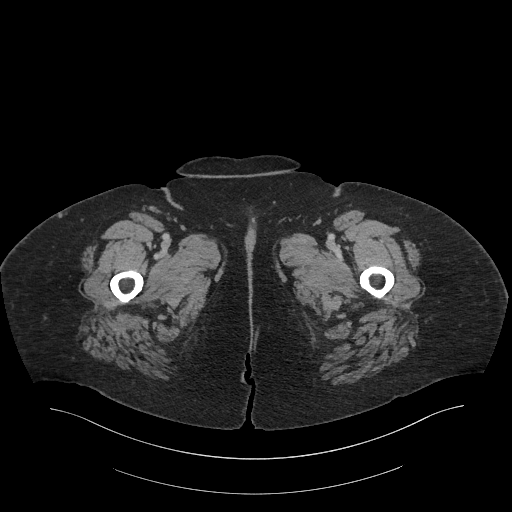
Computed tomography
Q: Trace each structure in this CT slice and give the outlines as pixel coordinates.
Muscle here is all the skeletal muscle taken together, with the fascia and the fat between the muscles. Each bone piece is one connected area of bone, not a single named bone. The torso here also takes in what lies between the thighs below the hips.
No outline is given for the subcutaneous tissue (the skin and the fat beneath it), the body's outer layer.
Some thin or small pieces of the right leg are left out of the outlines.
A: {"right_leg":[[[131,183],[164,187],[170,200],[181,209],[239,224],[247,230],[251,302],[244,378],[250,384],[250,392],[245,420],[240,428],[227,430],[180,423],[130,408],[76,383],[36,382],[20,355],[4,303],[0,272],[4,257],[22,237],[50,215],[87,197]]],"torso":[[[260,154],[289,157],[301,164],[298,169],[300,171],[316,174],[325,181],[335,184],[333,194],[328,200],[300,215],[257,223],[248,230],[239,223],[196,214],[181,208],[171,200],[164,186],[168,181],[179,177],[176,169],[191,159],[214,155],[247,157]]],"muscle":[{"outer":[[347,204],[376,213],[410,231],[421,253],[421,264],[418,270],[426,289],[425,293],[413,305],[420,329],[413,353],[373,378],[323,390],[313,383],[315,368],[309,339],[300,315],[275,269],[273,241],[275,232],[284,218],[296,217],[318,221],[335,209]],"hole":[[371,265],[379,265],[380,266],[383,266],[390,270],[393,273],[393,275],[394,276],[394,283],[389,291],[388,291],[383,296],[382,298],[376,298],[374,296],[370,294],[366,290],[362,288],[359,283],[359,276],[360,275],[360,273],[365,268]]},{"outer":[[140,205],[151,205],[188,229],[206,231],[215,235],[226,249],[224,277],[203,310],[195,334],[176,376],[169,381],[144,380],[112,370],[88,358],[74,339],[80,319],[88,308],[88,302],[78,291],[78,283],[83,275],[81,254],[107,221],[126,207]],"hole":[[129,269],[134,269],[138,271],[142,275],[144,280],[143,282],[143,286],[141,291],[132,299],[126,303],[121,303],[120,301],[113,294],[109,286],[109,282],[110,281],[110,279],[114,274],[118,273],[121,271],[124,271]]}],"bones":[[[371,265],[379,265],[380,266],[383,266],[390,270],[393,273],[393,275],[394,276],[394,283],[389,291],[388,291],[383,296],[382,298],[376,298],[374,296],[370,294],[366,290],[362,288],[359,283],[359,276],[360,275],[360,273],[365,268]],[[129,269],[134,269],[138,271],[142,275],[144,280],[143,282],[143,286],[141,291],[132,299],[126,303],[121,303],[120,301],[113,294],[109,286],[109,282],[110,281],[110,279],[114,274],[118,273],[121,271],[124,271]]],"left_leg":[[[346,181],[374,184],[430,204],[460,223],[479,241],[498,268],[508,294],[496,343],[480,373],[448,377],[376,408],[345,418],[289,429],[256,429],[250,418],[255,384],[250,378],[252,298],[248,231],[257,224],[307,213],[328,201],[334,194],[336,184]]]}